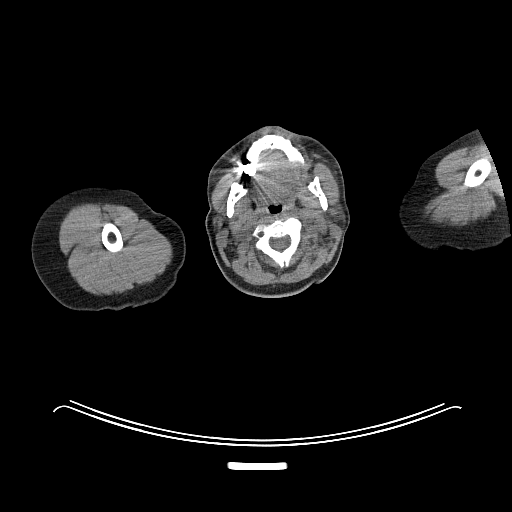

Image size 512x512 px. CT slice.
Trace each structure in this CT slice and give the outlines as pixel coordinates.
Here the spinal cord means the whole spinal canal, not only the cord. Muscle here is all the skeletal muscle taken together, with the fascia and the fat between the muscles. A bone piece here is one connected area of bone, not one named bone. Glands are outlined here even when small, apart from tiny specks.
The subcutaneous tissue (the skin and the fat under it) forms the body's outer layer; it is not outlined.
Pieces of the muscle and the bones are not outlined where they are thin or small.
spinal cord: 287,235 289,237 289,239 290,240 290,241 289,242 289,244 287,247 286,247 283,250 282,250 281,251 276,250 272,247 271,247 271,246 269,243 269,241 271,238 281,238 282,237 283,237 284,236 286,236
right arm: 85,186 103,186 132,190 155,211 171,217 180,225 185,236 185,259 175,285 156,303 133,308 127,307 116,311 109,309 98,311 73,310 60,304 40,281 31,258 31,239 36,223 43,211 55,199 67,192
bones 1: 288,217 295,217 301,222 302,227 300,231 300,240 296,250 290,258 289,265 284,267 280,267 279,265 267,254 256,248 255,243 257,240 257,238 254,236 252,233 255,227 259,224 269,224 276,219 284,220 with a hole at 287,235 289,237 289,239 290,240 290,241 289,242 289,244 287,247 286,247 283,250 282,250 281,251 276,250 272,247 271,247 271,246 269,243 269,241 271,238 281,238 282,237 283,237 284,236 286,236
bones 2: 271,133 281,135 287,138 302,154 304,159 304,165 293,166 281,150 268,148 260,153 259,162 256,167 257,170 254,176 250,176 244,172 241,173 237,167 240,162 244,164 247,162 245,156 252,142 265,134
bones 3: 482,157 487,158 488,162 489,163 489,165 490,166 490,168 491,169 490,172 485,178 485,179 479,185 477,186 474,186 473,187 465,187 463,186 463,182 464,181 464,179 466,175 466,172 468,168 473,162
bones 4: 105,222 111,222 113,223 118,228 121,234 121,237 122,238 123,245 122,246 122,248 119,251 117,251 116,252 111,252 109,251 104,246 102,242 102,239 101,238 101,231 103,227 103,224
bones 5: 233,181 237,181 243,184 243,185 247,189 247,192 234,204 234,207 233,208 234,209 234,211 233,212 233,214 231,217 228,217 226,214 226,202 227,201 227,197 228,196 228,194 230,190 230,185
bones 6: 316,175 317,175 319,178 319,182 320,183 320,186 323,192 325,194 326,198 327,199 327,202 328,203 328,207 326,210 323,210 323,209 320,205 320,202 319,201 318,197 316,196 307,187 308,183 310,182
parotid glands 1: 339,202 342,206 342,208 343,209 343,211 345,215 345,226 343,228 340,228 339,226 336,223 335,223 335,222 333,220 332,220 328,216 327,214 327,211 330,205 332,206 334,204 336,203 338,203
parotid glands 2: 214,210 216,210 219,213 221,213 225,217 226,217 228,219 228,226 226,228 221,228 219,230 218,230 217,231 217,232 216,233 215,233 214,232 214,230 213,229 213,222 212,221 213,220 213,211
muscle 1: 269,130 298,138 303,144 327,159 331,169 335,171 340,195 340,200 329,206 319,176 316,174 307,183 306,187 317,197 322,210 326,211 327,216 341,229 340,239 329,263 304,280 274,287 244,282 225,265 216,244 215,235 229,226 228,218 233,216 235,204 248,192 248,189 237,180 230,183 225,202 226,216 214,209 212,201 216,171 251,138 with holes at 288,217 295,217 301,222 302,227 300,231 300,240 296,250 290,258 289,265 284,267 280,267 279,265 267,254 256,248 255,243 257,240 257,238 254,236 252,233 255,227 259,224 269,224 276,219 284,220 and at 271,133 281,135 287,138 302,154 304,159 304,165 293,166 288,160 286,155 281,150 268,148 263,150 260,153 259,162 256,167 257,170 254,176 250,176 244,172 241,173 237,167 245,157 252,142 265,134 and at 271,206 280,206 280,207 281,208 279,210 279,211 276,211 275,212 273,212 272,211 271,211 270,210 270,207
muscle 2: 82,202 126,205 132,208 140,218 150,221 170,240 173,246 173,258 165,271 152,282 140,285 136,284 132,289 122,293 94,295 82,289 71,277 66,265 66,258 62,254 58,243 58,230 61,220 71,206, around a hole outlined by 105,222 111,222 113,223 118,228 121,234 121,237 122,238 123,245 122,246 122,248 119,251 117,251 116,252 111,252 109,251 104,246 102,242 102,239 101,238 101,231 103,227 103,224
muscle 3: 480,142 485,143 487,145 487,149 492,158 494,166 497,170 497,175 504,193 497,209 485,219 477,220 462,226 454,226 431,222 427,217 423,216 422,209 423,206 434,194 434,169 437,163 445,155 457,148 with a hole at 482,157 487,158 488,162 489,163 489,165 490,166 490,168 491,169 490,172 485,178 485,179 479,185 477,186 474,186 473,187 465,187 463,186 463,182 464,181 464,179 466,175 466,172 468,168 473,162
left arm: 475,128 479,131 483,141 487,145 487,149 497,170 497,175 504,193 510,236 497,246 477,251 460,250 451,247 443,247 433,251 420,247 408,239 400,227 397,213 399,202 414,181 421,163 429,155
head and neck: 266,125 278,125 298,134 309,135 319,140 335,156 342,171 345,197 350,213 342,251 332,272 321,282 299,293 284,297 254,296 241,292 228,283 214,259 205,227 209,208 207,179 211,167 230,146 250,132; inner edge: 271,206 280,206 280,207 281,208 279,210 279,211 276,211 275,212 273,212 272,211 271,211 270,210 270,207